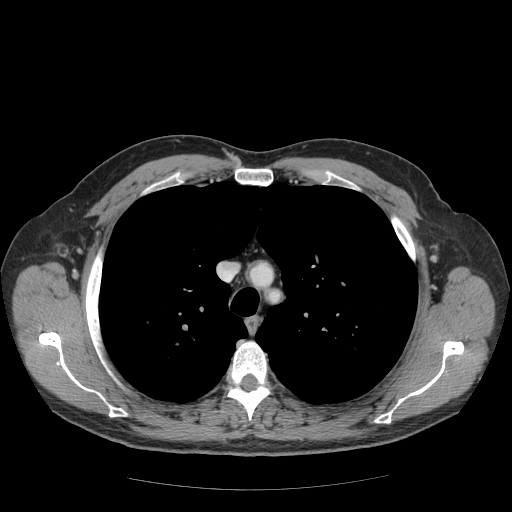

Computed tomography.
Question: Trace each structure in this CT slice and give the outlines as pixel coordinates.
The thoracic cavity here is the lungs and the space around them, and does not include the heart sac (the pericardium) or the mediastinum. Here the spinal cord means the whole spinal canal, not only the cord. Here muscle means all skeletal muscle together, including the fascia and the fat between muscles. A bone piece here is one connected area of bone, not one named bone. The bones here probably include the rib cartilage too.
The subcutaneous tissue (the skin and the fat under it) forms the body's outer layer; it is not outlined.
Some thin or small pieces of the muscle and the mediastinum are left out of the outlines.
Answer: Outlines:
bones 1: 239,340 243,341 252,340 255,341 260,346 267,355 268,364 270,369 282,385 276,387 271,394 265,397 256,406 250,422 248,420 247,413 244,407 235,399 223,396 224,392 222,389 224,376 236,349 236,343 with a hole at 248,374 250,374 251,375 252,375 256,379 256,380 257,381 257,383 258,384 258,385 254,389 252,389 251,390 250,390 249,391 246,391 245,390 244,390 241,387 241,382 242,381 242,379 246,375 247,375
bones 2: 103,244 105,250 102,262 101,279 98,296 98,315 99,316 100,331 107,354 106,356 112,363 113,369 116,375 129,389 130,391 129,393 117,385 101,363 94,348 86,322 84,299 87,279 92,261 99,247
bones 3: 49,331 56,332 60,336 64,362 72,374 83,385 100,392 112,405 128,412 128,417 109,417 107,415 109,409 104,402 95,393 79,387 63,368 56,364 59,359 58,350 51,345 42,345 38,340 42,332
bones 4: 447,340 461,341 464,345 464,350 461,354 452,354 446,358 444,370 439,378 421,393 413,395 404,400 392,413 392,419 390,423 386,424 371,422 380,414 390,410 398,399 422,387 438,372 441,367 443,345
bones 5: 238,166 244,166 245,167 263,167 264,166 267,166 271,168 273,170 274,172 274,180 269,185 267,186 258,186 257,185 250,185 249,184 240,184 236,181 235,181 233,178 233,170 234,168
bones 6: 303,168 319,168 320,169 327,169 328,170 330,170 342,176 344,178 355,183 362,189 362,192 360,192 353,189 342,187 341,186 337,186 336,185 324,185 323,184 315,183 313,181 301,175 300,171 301,169
bones 7: 177,170 180,170 181,171 193,171 194,172 193,177 188,179 185,183 179,185 175,185 174,186 167,187 164,189 154,191 141,197 139,197 139,194 142,190 144,189 144,188 150,184 161,179 167,175 171,174
bones 8: 392,213 398,216 403,221 403,222 407,227 411,235 411,237 415,244 415,256 416,257 416,261 415,263 414,263 411,260 411,259 407,254 406,251 404,249 403,246 399,241 396,235 396,233 389,219 389,217
mediastinum: 257,226 257,237 259,243 280,269 285,299 280,304 267,310 266,316 256,331 255,340 243,340 242,339 246,338 248,335 247,329 243,320 232,313 228,308 230,287 218,277 216,266 221,260 239,254 251,240
thoracic cavity: 206,180 336,186 382,210 415,265 417,305 399,357 371,389 313,404 271,369 256,334 286,294 257,225 239,253 215,266 229,287 227,308 247,332 222,381 178,403 152,398 121,375 99,315 112,232 139,198
muscle: 181,153 235,156 250,166 234,167 233,179 215,175 188,183 195,172 180,169 163,176 141,190 106,248 98,247 84,316 96,355 119,388 131,391 114,366 136,390 164,402 194,401 222,382 222,396 239,403 250,423 278,387 313,405 342,403 371,390 394,366 418,305 416,244 408,227 330,169 301,168 312,183 275,179 266,165 287,156 347,160 404,189 421,216 416,233 434,302 455,267 487,282 495,322 470,387 375,435 325,441 247,436 222,443 139,436 40,385 14,326 17,276 32,264 55,261 77,288 96,230 97,217 86,216 90,208 138,166; inner edges: 49,331 56,332 60,336 64,362 72,374 83,385 100,392 112,405 128,412 128,417 109,417 107,415 109,409 104,402 95,393 79,387 63,368 56,364 59,359 58,350 51,345 42,345 38,340 42,332, then 447,340 461,341 464,345 464,350 461,354 452,354 446,358 444,370 439,378 421,393 413,395 404,400 392,413 392,419 390,423 386,424 371,422 380,414 390,410 398,399 422,387 438,372 441,367 443,345
torso: 169,134 203,135 256,151 324,137 368,143 416,164 455,211 476,218 498,247 509,290 494,349 459,411 390,444 280,457 133,449 54,413 34,385 10,329 0,273 5,253 24,223 66,194 102,161 134,143
spinal cord: 248,374 250,374 251,375 252,375 256,379 256,380 257,381 257,383 258,384 258,385 254,389 252,389 251,390 250,390 249,391 246,391 245,390 244,390 241,387 241,382 242,381 242,379 246,375 247,375